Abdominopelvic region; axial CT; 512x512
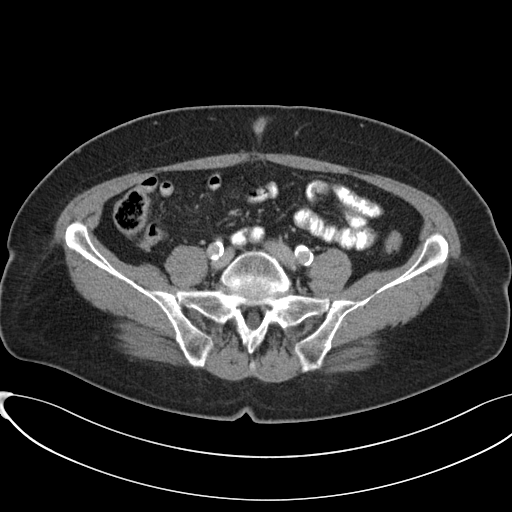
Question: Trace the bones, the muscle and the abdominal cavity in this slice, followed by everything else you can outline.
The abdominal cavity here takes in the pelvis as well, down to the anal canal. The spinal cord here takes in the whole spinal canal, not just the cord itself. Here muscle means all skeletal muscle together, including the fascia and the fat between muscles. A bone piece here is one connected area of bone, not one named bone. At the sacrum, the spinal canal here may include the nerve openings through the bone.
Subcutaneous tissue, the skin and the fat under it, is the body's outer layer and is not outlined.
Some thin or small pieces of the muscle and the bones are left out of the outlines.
Answer: Outlined structures:
bones: [[75,221],[123,275],[173,294],[215,290],[238,255],[261,250],[294,294],[356,301],[406,271],[431,234],[448,252],[348,312],[321,366],[304,373],[295,344],[324,314],[270,325],[249,353],[232,321],[183,307],[213,344],[193,367],[156,302],[66,244]], around a hole outlined by [[253,306],[259,306],[262,309],[262,310],[263,311],[263,312],[262,313],[262,317],[261,318],[260,323],[257,327],[256,327],[253,329],[252,328],[250,328],[246,323],[245,316],[244,315],[244,313],[243,312],[243,310],[242,309],[242,307],[252,307]]
muscle 1: [[242,150],[289,153],[389,177],[434,197],[451,217],[460,240],[460,259],[448,265],[441,287],[430,304],[407,323],[398,325],[388,337],[383,357],[374,368],[348,372],[328,382],[319,381],[316,372],[308,372],[322,366],[332,348],[334,336],[348,313],[365,305],[379,293],[441,265],[448,257],[449,244],[441,233],[431,233],[406,270],[362,299],[331,300],[327,296],[313,296],[308,284],[308,267],[317,255],[327,249],[337,248],[349,258],[352,271],[345,283],[347,286],[371,271],[388,270],[404,264],[419,243],[423,225],[420,213],[403,198],[350,174],[302,169],[256,159],[225,167],[156,172],[106,200],[93,230],[104,246],[123,262],[156,267],[170,283],[164,266],[166,258],[178,245],[197,246],[203,250],[207,260],[205,282],[199,284],[197,289],[178,289],[173,293],[147,289],[112,265],[96,248],[84,223],[75,220],[66,226],[64,241],[71,250],[157,304],[171,324],[174,339],[191,366],[125,357],[112,339],[112,316],[94,307],[74,288],[63,249],[52,240],[59,215],[77,194],[130,172]]
muscle 2: [[183,308],[192,309],[217,324],[232,322],[249,354],[265,339],[270,326],[277,325],[284,330],[309,317],[324,316],[311,332],[294,344],[293,351],[303,373],[282,382],[264,382],[255,377],[231,381],[195,368],[204,367],[214,344],[211,336],[197,326]]
abdominal cavity: [[256,160],[350,175],[403,199],[422,218],[417,245],[404,263],[347,285],[352,262],[329,247],[307,267],[312,296],[294,293],[261,249],[238,254],[215,289],[197,288],[208,274],[197,245],[165,258],[170,282],[123,261],[94,233],[106,201],[156,173]]
spinal cord: [[253,306],[259,306],[262,309],[262,310],[263,311],[263,312],[262,313],[262,317],[261,318],[260,323],[257,327],[256,327],[253,329],[252,328],[250,328],[246,323],[245,316],[244,315],[244,313],[243,312],[243,310],[242,309],[242,307],[252,307]]
torso: [[212,104],[338,109],[407,130],[443,152],[487,203],[511,259],[509,330],[498,355],[447,382],[387,405],[289,423],[256,423],[246,413],[225,421],[165,411],[12,356],[0,339],[0,278],[8,259],[11,223],[30,191],[69,152],[109,128],[152,112]]